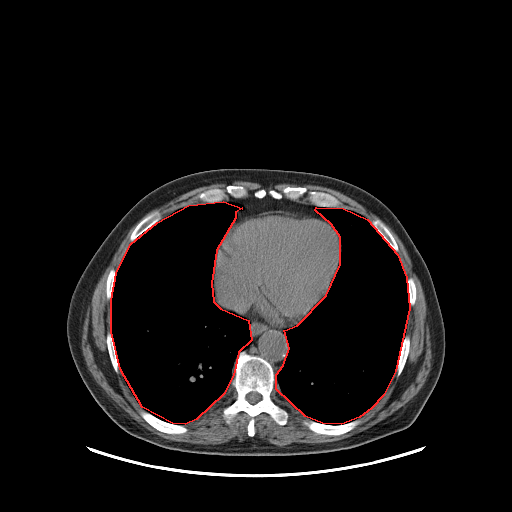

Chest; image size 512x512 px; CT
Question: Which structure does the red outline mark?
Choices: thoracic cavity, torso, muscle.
Answer: red: thoracic cavity.
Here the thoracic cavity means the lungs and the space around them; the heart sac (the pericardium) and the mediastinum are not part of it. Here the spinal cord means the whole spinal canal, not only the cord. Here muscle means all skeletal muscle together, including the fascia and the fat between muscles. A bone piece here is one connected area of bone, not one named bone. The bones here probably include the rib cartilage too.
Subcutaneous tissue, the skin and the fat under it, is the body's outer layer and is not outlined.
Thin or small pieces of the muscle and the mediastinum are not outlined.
The thoracic cavity appears in 2 outlined pieces: piece 1: 223,201 242,208 235,212 235,218 216,250 211,283 213,301 220,308 248,320 251,340 238,352 233,375 223,394 196,419 185,424 172,423 142,407 120,369 111,331 111,300 116,273 130,244 157,222 188,205; piece 2: 316,207 343,208 367,219 397,254 406,277 409,308 395,371 383,395 371,408 359,417 341,424 322,423 305,416 276,389 276,374 283,365 289,348 284,330 297,325 326,295 340,264 340,237 331,224 315,210. The spinal cord is outlined by 250,392 257,392 258,393 259,393 261,395 261,399 259,401 258,401 256,403 255,403 254,404 252,404 251,403 250,403 247,400 247,399 246,398 246,396 247,395 247,394 248,393 249,393. The torso is outlined by 221,168 292,170 338,178 371,193 401,222 429,270 445,330 441,373 419,415 409,427 356,447 325,453 288,456 198,454 166,449 129,434 95,401 78,373 66,334 70,299 81,274 111,230 142,197 176,178. The muscle appears in 3 outlined pieces: piece 1: 139,220 129,235 130,243 117,269 111,268 105,281 106,299 110,301 110,331 106,333 105,341 112,368 117,374 121,372 141,406 140,416 153,428 166,434 186,433 189,429 185,425 201,417 231,388 233,399 222,408 221,416 229,424 240,412 248,415 248,437 242,441 201,444 164,438 142,426 118,406 87,367 81,349 87,308 114,253 127,232; piece 2: 386,224 406,249 425,296 432,364 422,387 389,416 343,439 278,446 254,436 255,418 261,413 268,414 280,426 288,422 289,412 274,399 276,390 294,409 306,417 301,422 309,430 316,434 339,436 359,425 362,422 360,417 384,395 394,374 396,377 401,375 410,351 411,339 406,331 409,309 416,303 417,290 414,279 406,276 397,253 398,244; piece 3: 236,180 257,182 264,186 273,185 278,183 294,183 300,185 311,184 312,185 328,187 339,191 355,200 379,218 374,218 370,221 360,213 358,213 351,209 340,207 341,206 341,201 331,193 321,190 308,189 306,186 287,185 280,189 271,188 268,190 261,187 256,189 252,193 252,195 249,195 249,190 245,186 240,184 232,184 231,183 227,184 224,187 212,187 199,192 195,197 201,203 194,203 182,206 162,218 161,213 158,210 151,211 145,215 151,210 157,208 172,199 174,199 176,197 195,188 205,185 210,185 214,183 225,183 226,182 232,182. The bones appear in 11 outlined pieces: piece 1: 243,350 265,359 272,366 276,379 273,399 289,415 287,422 280,425 268,413 259,413 254,418 255,434 251,437 247,433 250,417 246,412 238,412 229,423 222,416 223,408 234,399 233,389 229,386 235,360, around a hole outlined by 250,392 257,392 258,393 259,393 261,395 261,399 259,401 258,401 256,403 255,403 254,404 252,404 251,403 250,403 247,400 247,399 246,398 246,396 247,395 247,394 248,393 249,393; piece 2: 287,186 301,186 306,187 308,190 329,193 340,201 340,206 316,206 310,203 304,197 297,200 292,200 285,197 276,199 269,195 262,198 258,198 253,195 253,193 256,190 261,188 267,191 271,189 280,190; piece 3: 229,184 232,185 240,185 245,187 248,190 248,195 246,197 242,197 241,198 233,198 230,197 228,199 219,202 215,202 214,203 202,203 201,201 196,197 199,193 203,192 206,190 212,188 224,188; piece 4: 304,418 308,418 313,421 322,424 328,424 329,425 341,425 353,421 358,418 360,419 361,422 354,428 345,433 339,435 329,435 328,434 323,434 322,433 316,433 309,429 304,425 302,422; piece 5: 141,409 145,410 155,417 165,422 171,423 172,424 178,424 179,425 184,425 186,426 188,429 186,432 184,432 183,433 166,433 165,432 160,431 153,427 150,424 149,424 141,416 140,414 140,410; piece 6: 154,211 158,211 160,213 160,215 161,216 161,219 160,219 154,224 153,224 147,229 146,229 133,241 131,242 130,241 130,235 133,231 136,225 145,216 146,216 149,213 151,212 153,212; piece 7: 374,219 379,219 380,220 381,220 388,228 389,231 393,236 393,237 397,244 397,246 398,247 398,251 397,252 396,252 389,245 389,244 384,239 384,238 375,229 374,226 372,224 372,223 371,222; piece 8: 108,332 111,332 113,338 113,341 114,342 114,345 115,346 115,349 117,353 117,357 119,362 119,369 120,370 119,373 115,372 110,360 110,357 108,352 108,348 107,347 107,342 106,341 106,335; piece 9: 406,335 408,335 410,339 409,351 407,355 407,358 406,359 405,364 400,375 399,376 396,376 395,375 395,372 396,371 396,368 397,367 397,364 398,363 398,360 399,359 402,344 403,343 404,338; piece 10: 111,269 114,269 116,271 116,272 115,273 115,279 114,280 114,285 113,286 113,291 112,292 112,294 111,295 111,299 110,300 108,300 107,299 107,295 106,294 106,281 107,280 107,277 108,276 108,274; piece 11: 409,277 411,277 413,279 413,280 414,281 414,283 415,284 415,289 416,290 416,296 415,297 415,303 412,306 410,306 410,305 409,304 409,296 408,295 408,287 407,286 407,279. The pericardium is outlined by 269,210 291,211 319,217 327,221 335,230 341,244 339,264 329,284 327,292 299,322 287,327 274,327 259,318 240,315 223,307 217,300 217,293 214,285 214,264 217,250 222,238 230,226 254,213 260,213. The mediastinum appears in 3 outlined pieces: piece 1: 244,317 259,319 269,326 274,328 286,328 283,330 283,333 287,339 287,343 288,344 287,353 284,358 282,365 276,373 273,366 265,358 259,355 250,354 245,350 250,345 252,340 250,335 250,322 247,318; piece 2: 248,196 253,196 258,199 262,199 269,196 276,200 285,198 292,201 307,202 315,206 314,210 325,219 304,212 269,209 260,212 254,212 231,225 236,218 236,212 243,208 238,203 225,201 231,198 241,199; piece 3: 213,276 213,285 214,286 214,288 215,289 215,292 216,293 216,300 220,306 221,306 223,308 227,310 229,310 226,310 220,307 217,304 216,304 214,301 214,292 213,291 213,287 212,286 212,283 213,282.